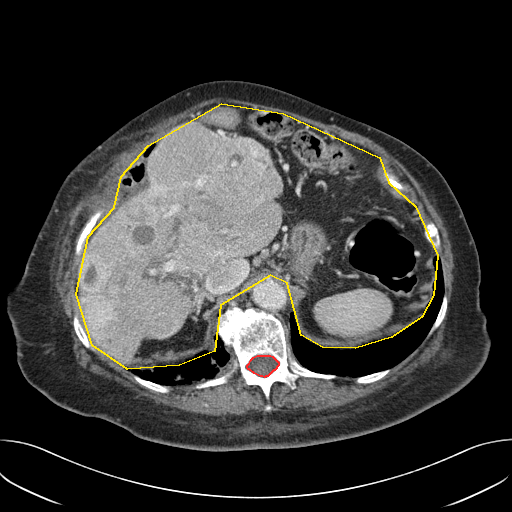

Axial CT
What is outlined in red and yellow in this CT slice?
red: spinal cord; yellow: abdominal cavity.
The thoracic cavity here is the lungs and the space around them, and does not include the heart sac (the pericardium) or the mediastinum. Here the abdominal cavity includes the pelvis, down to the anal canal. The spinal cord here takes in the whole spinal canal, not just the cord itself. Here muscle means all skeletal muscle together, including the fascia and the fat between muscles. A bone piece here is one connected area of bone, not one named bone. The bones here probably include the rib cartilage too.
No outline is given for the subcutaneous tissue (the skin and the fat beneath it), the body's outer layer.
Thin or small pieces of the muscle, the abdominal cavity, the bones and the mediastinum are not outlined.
spinal cord: 257,355 270,355 272,356 278,362 278,365 276,367 276,368 274,370 273,370 267,376 265,376 264,377 262,376 260,376 254,373 249,369 248,369 247,367 247,365 249,363 251,359 253,357
abdominal cavity: 221,103 283,113 379,157 388,182 415,206 437,255 433,295 421,317 391,337 355,348 322,347 301,335 287,283 270,275 220,305 214,351 179,365 127,369 92,345 76,294 88,236 114,207 121,176 148,145
thoracic cavity 1: 436,256 440,259 443,276 444,290 441,303 427,334 407,356 389,368 356,377 314,371 298,361 288,340 291,315 300,335 308,342 322,348 341,351 351,350 391,338 411,326 424,314 434,295 436,280 434,258
thoracic cavity 2: 216,335 219,336 225,349 229,352 230,355 229,360 225,367 217,376 188,384 165,385 143,378 129,370 137,369 138,370 148,370 152,372 158,368 170,368 179,366 201,352 206,351 212,353 216,349 215,341
bones 1: 232,303 242,309 279,314 297,361 311,371 336,377 299,376 293,389 284,382 274,382 269,390 270,411 265,410 268,401 262,389 245,384 238,368 225,383 196,388 198,382 225,374 236,359 217,331 220,315, around a hole outlined by 257,355 270,355 272,356 278,362 278,365 276,367 276,368 274,370 273,370 267,376 265,376 264,377 262,376 260,376 254,373 249,369 248,369 247,367 247,365 249,363 251,359 253,357
bones 2: 98,210 102,210 103,212 100,217 97,220 95,225 92,228 90,233 87,236 87,238 85,241 85,243 83,246 83,248 80,255 77,255 75,253 76,240 82,228 84,226 86,222 90,218 90,217
bones 3: 429,221 430,221 431,222 432,222 435,225 435,226 437,228 437,229 438,230 438,233 439,234 439,237 440,238 440,247 437,250 436,250 434,248 434,247 430,243 430,242 426,237 426,235 425,234 425,225
bones 4: 75,313 76,313 78,315 78,317 79,318 79,321 87,336 87,338 89,342 93,347 93,350 91,350 85,347 84,345 80,341 80,340 78,338 75,332 75,330 73,327 73,317
bones 5: 133,374 137,375 143,379 149,380 152,382 154,382 155,383 157,383 161,385 164,385 165,386 169,386 169,391 166,393 162,393 161,392 156,392 153,390 151,390 141,385 138,382 137,382 134,378
bones 6: 390,368 390,370 382,378 376,381 374,381 370,383 366,383 365,384 363,384 362,383 357,383 355,380 357,377 359,377 360,376 364,376 374,372 377,372 378,371 381,371 382,370 385,370
bones 7: 444,294 445,294 447,297 447,308 446,309 446,312 445,313 444,318 442,320 441,323 438,326 438,327 436,328 432,332 432,333 428,336 427,335 432,325 434,323 435,319 440,309 440,307 442,303 443,295
bones 8: 386,173 387,174 388,173 389,174 392,174 394,175 397,179 397,180 399,181 404,186 405,186 407,188 408,191 404,193 403,191 401,191 399,189 398,189 396,187 392,185 389,182 386,176
muscle 1: 212,97 228,97 271,105 327,124 335,124 347,130 356,132 371,139 383,147 396,158 420,183 426,195 431,200 442,219 448,234 453,254 453,288 449,303 449,312 446,326 444,329 443,344 440,351 443,353 442,357 440,357 438,354 436,356 436,361 432,359 428,363 416,368 409,374 400,377 397,381 390,383 376,392 361,398 356,402 334,409 322,410 317,412 308,412 301,409 296,412 254,412 243,415 231,415 224,418 220,416 186,412 162,403 156,403 152,399 145,396 138,396 134,391 113,380 107,379 101,375 89,371 76,361 73,351 71,325 63,310 60,298 54,285 55,271 58,266 58,258 56,257 56,243 61,235 60,231 62,229 64,231 68,226 66,221 69,219 70,211 76,205 81,196 96,184 98,178 110,165 110,161 115,154 129,148 133,141 141,140 145,135 144,132 148,128 171,115 179,113 205,99 with a hole at 221,103 274,110 372,151 407,188 404,195 423,224 430,221 437,228 435,253 447,297 444,318 382,378 363,384 351,376 299,376 293,389 276,381 269,390 272,409 266,411 262,389 245,384 238,368 225,383 196,388 192,382 156,392 78,338 73,317 79,314 80,256 75,246 82,228 98,210 103,211 98,222 114,207 121,176 154,139 204,107
muscle 2: 228,348 231,348 235,356 235,359 234,359 232,361 232,365 231,366 231,368 225,373 221,375 219,375 219,374 222,371 224,370 224,369 226,367 227,364 230,360 231,355 230,354 230,352 228,350
torso: 219,79 269,85 367,123 401,139 441,172 478,251 480,306 491,337 485,364 465,387 405,421 356,437 301,447 204,451 142,439 106,420 67,410 25,379 16,361 6,294 24,271 60,184 136,115 184,88
mediastinum: 270,276 282,279 286,283 290,292 292,313 289,316 289,335 287,335 282,321 282,316 279,313 275,314 263,309 257,309 253,306 242,308 235,302 232,302 231,305 220,314 221,305 227,300 245,289 254,281